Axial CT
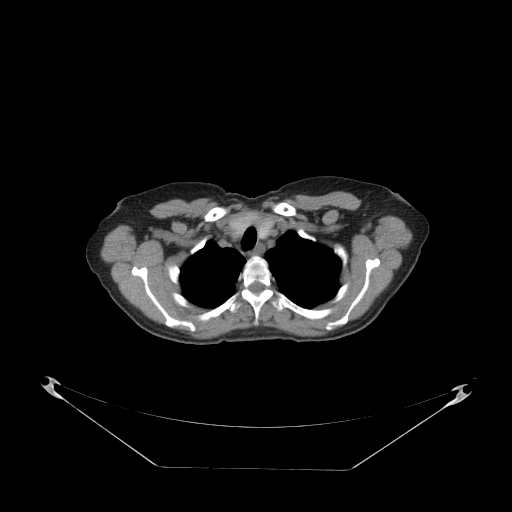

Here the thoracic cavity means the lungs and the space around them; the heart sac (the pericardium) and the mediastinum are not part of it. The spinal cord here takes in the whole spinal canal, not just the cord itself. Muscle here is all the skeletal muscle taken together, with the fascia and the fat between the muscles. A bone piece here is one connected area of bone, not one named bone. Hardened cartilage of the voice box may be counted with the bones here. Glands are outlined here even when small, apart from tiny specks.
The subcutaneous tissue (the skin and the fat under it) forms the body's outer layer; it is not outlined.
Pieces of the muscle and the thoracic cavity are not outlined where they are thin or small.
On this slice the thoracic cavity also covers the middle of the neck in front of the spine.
{"thoracic_cavity":[[[253,222],[259,238],[268,237],[279,223],[331,248],[341,261],[340,285],[334,296],[312,308],[297,304],[277,288],[267,260],[259,254],[245,260],[235,291],[223,302],[212,308],[191,303],[181,293],[180,267],[222,227],[231,226],[232,235],[238,238]]],"thyroid_glands":[[[246,215],[255,215],[260,217],[268,218],[272,220],[274,223],[269,235],[265,237],[259,237],[258,230],[257,229],[259,226],[253,221],[243,230],[242,233],[238,237],[235,237],[232,232],[232,226],[231,225],[227,225],[227,223],[231,220]]],"bones":[{"outer":[[259,255],[266,260],[275,287],[294,303],[308,309],[335,310],[322,318],[310,319],[287,307],[279,311],[269,299],[261,306],[255,326],[252,306],[239,296],[240,306],[234,312],[227,309],[204,321],[196,318],[229,298],[237,289],[237,279],[246,260]],"hole":[[255,282],[258,282],[259,283],[260,283],[263,286],[263,288],[258,293],[255,293],[254,292],[253,292],[252,291],[251,291],[250,290],[250,289],[249,288],[249,287],[250,286],[250,285],[251,284],[252,284],[253,283],[254,283]]},[[133,266],[139,268],[145,266],[147,268],[148,286],[154,296],[170,315],[178,319],[190,320],[196,328],[194,331],[191,331],[187,326],[184,325],[177,325],[173,327],[168,327],[165,325],[165,318],[146,293],[143,280],[139,276],[133,275],[131,273]],[[374,258],[379,259],[379,265],[370,271],[368,287],[361,299],[351,310],[348,316],[348,321],[343,325],[337,326],[331,330],[327,330],[325,328],[325,325],[329,321],[333,321],[343,315],[361,289],[365,279],[365,271],[366,270],[365,261],[367,259]],[[280,201],[284,201],[290,204],[292,206],[293,206],[296,210],[296,213],[295,215],[293,216],[285,216],[284,215],[282,215],[281,214],[279,214],[278,213],[276,213],[274,212],[272,210],[272,206],[277,202],[279,202]],[[216,206],[223,206],[224,207],[225,207],[226,208],[227,208],[227,209],[228,210],[228,212],[226,214],[225,214],[223,216],[222,216],[220,218],[219,218],[218,219],[217,219],[214,221],[205,221],[205,220],[204,219],[204,215],[211,208],[213,208]],[[336,244],[340,244],[345,249],[345,250],[346,251],[346,252],[347,253],[347,262],[346,263],[346,265],[344,267],[342,267],[342,261],[341,260],[341,259],[333,251],[333,248],[334,247],[334,246]],[[172,264],[175,264],[177,266],[178,266],[180,270],[179,272],[179,276],[178,277],[178,281],[179,282],[178,284],[176,284],[174,283],[170,279],[169,277],[169,275],[168,274],[168,266]],[[347,282],[348,282],[349,283],[349,285],[348,286],[348,289],[347,290],[346,293],[344,295],[344,296],[340,300],[339,300],[336,302],[331,302],[330,301],[335,296],[335,295],[337,293],[337,292],[338,291],[338,289],[340,287],[340,286]],[[173,292],[176,292],[177,293],[180,293],[190,303],[190,304],[191,305],[189,307],[185,307],[184,306],[182,306],[181,305],[180,305],[179,304],[178,304],[174,300],[174,299],[173,298],[173,297],[172,296],[172,293]],[[204,237],[205,237],[206,238],[206,241],[205,242],[205,243],[204,244],[204,245],[200,249],[199,249],[197,251],[196,251],[194,253],[193,253],[192,254],[190,254],[190,250],[191,249],[191,248],[194,245],[195,245],[200,240],[201,240]],[[299,228],[301,228],[302,229],[303,229],[308,234],[310,234],[311,235],[314,236],[316,238],[316,241],[313,241],[310,239],[307,239],[306,238],[304,238],[303,237],[300,236],[298,234],[298,233],[297,232],[297,230]]],"torso":[[[313,175],[337,175],[381,184],[400,194],[423,213],[429,223],[428,237],[410,275],[380,314],[365,328],[353,334],[317,342],[272,339],[195,345],[168,340],[137,326],[110,298],[85,259],[88,238],[100,220],[124,196],[173,181],[206,181],[252,197]]],"spinal_cord":[[[255,282],[258,282],[259,283],[260,283],[263,286],[263,288],[258,293],[255,293],[254,292],[253,292],[252,291],[251,291],[250,290],[250,289],[249,288],[249,287],[250,286],[250,285],[251,284],[252,284],[253,283],[254,283]]],"muscle":[{"outer":[[332,191],[350,192],[362,202],[349,216],[348,240],[355,233],[371,234],[377,220],[386,215],[401,218],[413,235],[392,281],[359,318],[348,322],[349,316],[369,287],[371,271],[380,265],[378,257],[364,261],[360,289],[344,313],[324,325],[329,331],[324,335],[300,336],[258,326],[260,310],[269,300],[279,312],[287,308],[318,320],[336,308],[316,307],[340,301],[349,289],[348,281],[339,281],[348,262],[346,249],[340,243],[332,248],[317,241],[301,227],[296,231],[268,217],[246,214],[231,219],[213,237],[200,239],[180,266],[167,266],[169,279],[181,288],[171,293],[173,300],[185,308],[193,304],[209,309],[195,316],[199,321],[227,310],[234,313],[241,306],[239,297],[251,306],[254,326],[206,339],[172,328],[184,326],[191,332],[197,328],[190,319],[165,309],[149,286],[145,265],[133,265],[130,273],[142,280],[145,293],[164,318],[163,325],[123,297],[100,256],[105,235],[120,224],[131,226],[138,239],[147,241],[158,224],[149,209],[170,199],[237,199],[256,207],[271,196],[282,199]],"holes":[[[280,201],[284,201],[290,204],[292,206],[293,206],[296,210],[296,213],[295,215],[293,216],[285,216],[284,215],[282,215],[281,214],[279,214],[278,213],[276,213],[274,212],[272,210],[272,206],[277,202],[279,202]],[[216,206],[223,206],[224,207],[225,207],[226,208],[227,208],[227,209],[228,210],[228,212],[226,214],[225,214],[223,216],[222,216],[220,218],[219,218],[218,219],[217,219],[214,221],[205,221],[205,220],[204,219],[204,215],[211,208],[213,208]]]}]}